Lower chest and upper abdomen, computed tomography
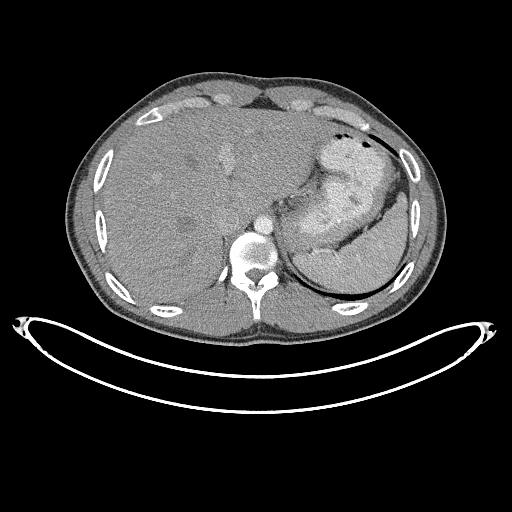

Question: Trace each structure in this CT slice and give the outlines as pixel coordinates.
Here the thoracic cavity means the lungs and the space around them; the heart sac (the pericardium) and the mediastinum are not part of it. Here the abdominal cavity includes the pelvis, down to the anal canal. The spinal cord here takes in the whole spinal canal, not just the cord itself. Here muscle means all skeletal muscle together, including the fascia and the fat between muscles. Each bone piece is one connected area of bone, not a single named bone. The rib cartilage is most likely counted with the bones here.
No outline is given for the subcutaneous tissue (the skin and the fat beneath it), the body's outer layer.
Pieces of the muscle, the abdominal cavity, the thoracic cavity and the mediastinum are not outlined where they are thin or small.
Answer: The bones appear in 11 outlined pieces: piece 1: (254, 320) (260, 319) (259, 305) (261, 297) (268, 289) (278, 284) (275, 268) (279, 258) (276, 247) (269, 238) (253, 231) (246, 231) (233, 241) (229, 251) (229, 263) (223, 267) (218, 276) (217, 283) (223, 281) (229, 273) (230, 283) (234, 287) (244, 291) (251, 300) with a hole at (255, 282) (256, 282) (264, 274) (264, 272) (263, 271) (262, 271) (261, 270) (259, 270) (258, 269) (256, 269) (255, 268) (254, 268) (253, 269) (251, 269) (249, 271) (248, 271) (246, 273) (246, 274) (247, 275) (247, 276) (249, 278) (250, 278) (253, 281) (254, 281); piece 2: (136, 126) (158, 121) (169, 113) (177, 111) (183, 107) (204, 107) (207, 105) (209, 105) (212, 101) (219, 104) (231, 103) (231, 97) (228, 94) (219, 93) (213, 95) (210, 100) (203, 97) (190, 97) (174, 102) (169, 102) (160, 106) (153, 107) (139, 116) (134, 123); piece 3: (364, 131) (369, 131) (370, 124) (359, 115) (349, 110) (345, 110) (337, 107) (331, 107) (326, 105) (324, 106) (314, 106) (310, 101) (302, 99) (294, 99) (292, 100) (288, 107) (297, 110) (311, 109) (314, 113) (318, 115) (325, 115) (329, 117) (334, 117) (343, 120); piece 4: (95, 193) (96, 193) (101, 188) (105, 179) (105, 177) (107, 174) (107, 172) (111, 163) (111, 160) (114, 153) (114, 150) (112, 148) (110, 148) (107, 150) (100, 160) (96, 169) (95, 175) (94, 176) (94, 180) (93, 181) (93, 190); piece 5: (414, 183) (416, 183) (418, 182) (420, 179) (420, 173) (419, 172) (419, 168) (418, 167) (418, 165) (415, 159) (411, 154) (411, 153) (408, 150) (401, 147) (397, 150) (397, 152) (406, 169) (406, 171) (410, 178) (410, 180) (411, 180) (412, 182); piece 6: (344, 315) (351, 315) (352, 314) (355, 314) (356, 313) (360, 312) (367, 307) (368, 305) (368, 302) (367, 301) (362, 300) (361, 301) (350, 301) (349, 302) (342, 302) (341, 303) (335, 303) (331, 306) (331, 309) (334, 311) (338, 312) (340, 314) (343, 314); piece 7: (133, 304) (136, 304) (136, 301) (131, 296) (131, 295) (129, 293) (129, 292) (116, 279) (116, 278) (109, 271) (105, 271) (104, 274) (105, 275) (105, 278) (106, 279) (106, 281) (111, 287) (111, 288) (120, 297) (121, 297) (126, 301) (127, 301) (130, 303) (132, 303); piece 8: (103, 253) (104, 253) (105, 252) (105, 244) (106, 243) (106, 231) (105, 230) (105, 222) (104, 221) (103, 214) (101, 211) (101, 209) (98, 208) (95, 212) (95, 226) (96, 227) (96, 232) (97, 233) (97, 238) (98, 239) (98, 242) (99, 243) (100, 248); piece 9: (164, 317) (169, 317) (170, 316) (173, 316) (174, 315) (179, 314) (180, 313) (181, 313) (183, 311) (183, 310) (181, 307) (180, 307) (177, 305) (157, 305) (156, 304) (153, 304) (149, 307) (149, 310) (152, 313) (153, 313) (156, 315) (159, 315) (160, 316) (163, 316); piece 10: (389, 292) (392, 292) (396, 290) (398, 288) (399, 288) (406, 281) (406, 280) (410, 275) (413, 269) (413, 266) (414, 265) (414, 261) (413, 260) (408, 262) (404, 266) (404, 267) (402, 269) (400, 273) (396, 277) (396, 278) (394, 280) (392, 284) (388, 287) (389, 288); piece 11: (411, 238) (414, 238) (415, 237) (416, 233) (417, 232) (417, 230) (418, 229) (418, 225) (419, 224) (419, 215) (420, 214) (420, 210) (419, 209) (419, 203) (416, 198) (413, 199) (412, 201) (412, 203) (411, 204) (411, 210) (410, 211) (410, 231) (411, 232) (410, 237). The muscle is outlined by (210, 336) (236, 333) (256, 321) (250, 300) (229, 283) (229, 274) (223, 282) (217, 284) (216, 280) (178, 304) (184, 311) (169, 318) (152, 314) (148, 310) (151, 303) (133, 296) (136, 305) (126, 302) (104, 278) (104, 271) (110, 270) (96, 238) (94, 212) (101, 208) (101, 189) (93, 192) (93, 176) (106, 150) (112, 147) (115, 151) (138, 127) (133, 123) (139, 115) (169, 101) (190, 96) (210, 99) (219, 92) (230, 94) (234, 104) (263, 96) (287, 107) (292, 99) (302, 98) (314, 105) (354, 111) (371, 124) (374, 135) (396, 150) (402, 146) (412, 153) (421, 173) (420, 181) (412, 183) (413, 198) (418, 199) (421, 214) (408, 258) (415, 265) (407, 281) (392, 293) (386, 288) (366, 299) (369, 305) (360, 313) (344, 316) (330, 309) (341, 302) (301, 285) (280, 260) (276, 268) (279, 284) (262, 297) (260, 321) (289, 332) (330, 330) (363, 320) (402, 297) (421, 274) (435, 244) (437, 208) (430, 179) (414, 150) (356, 105) (299, 85) (261, 89) (232, 80) (207, 80) (178, 87) (126, 119) (97, 150) (78, 186) (73, 210) (77, 242) (96, 280) (115, 303) (148, 320). The mediastinum is outlined by (275, 244) (275, 220) (273, 219) (273, 217) (271, 215) (269, 214) (262, 214) (261, 216) (257, 216) (254, 218) (254, 219) (252, 220) (252, 221) (250, 222) (247, 226) (246, 226) (246, 228) (244, 231) (246, 230) (253, 230) (260, 234) (265, 235) (269, 237) (275, 243). The torso is outlined by (235, 346) (308, 343) (371, 327) (407, 308) (437, 267) (447, 218) (436, 173) (419, 146) (393, 120) (347, 87) (297, 76) (260, 77) (225, 71) (182, 75) (156, 87) (117, 117) (75, 170) (66, 198) (65, 230) (71, 251) (100, 301) (114, 314) (147, 329) (190, 341). The spinal cord is outlined by (255, 282) (256, 282) (264, 274) (264, 272) (263, 271) (262, 271) (261, 270) (259, 270) (258, 269) (256, 269) (255, 268) (254, 268) (253, 269) (251, 269) (249, 271) (248, 271) (246, 273) (246, 274) (247, 275) (247, 276) (249, 278) (250, 278) (253, 281) (254, 281). The abdominal cavity is outlined by (157, 304) (177, 304) (211, 285) (228, 263) (232, 241) (262, 213) (276, 220) (279, 257) (296, 279) (328, 293) (381, 287) (412, 248) (413, 189) (397, 153) (370, 132) (263, 97) (245, 105) (183, 108) (140, 126) (115, 152) (102, 187) (106, 254) (112, 273) (132, 295). The thoracic cavity appears in 2 outlined pieces: piece 1: (340, 301) (361, 300) (362, 299) (365, 299) (381, 291) (391, 284) (395, 277) (401, 270) (400, 270) (389, 282) (381, 288) (375, 291) (364, 294) (356, 294) (355, 295) (349, 295) (348, 294) (328, 294) (327, 293) (320, 292) (314, 289) (311, 289) (322, 295) (335, 298); piece 2: (394, 153) (396, 153) (396, 151) (392, 149) (388, 145) (387, 145) (386, 143) (383, 142) (380, 139) (374, 136) (373, 134) (371, 134) (369, 135) (370, 137) (373, 138) (377, 141) (379, 141) (382, 144) (383, 144).